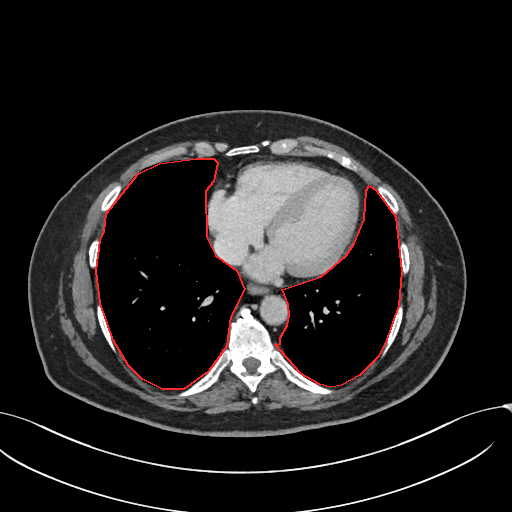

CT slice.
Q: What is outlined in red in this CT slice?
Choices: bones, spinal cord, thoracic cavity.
A: red: thoracic cavity.
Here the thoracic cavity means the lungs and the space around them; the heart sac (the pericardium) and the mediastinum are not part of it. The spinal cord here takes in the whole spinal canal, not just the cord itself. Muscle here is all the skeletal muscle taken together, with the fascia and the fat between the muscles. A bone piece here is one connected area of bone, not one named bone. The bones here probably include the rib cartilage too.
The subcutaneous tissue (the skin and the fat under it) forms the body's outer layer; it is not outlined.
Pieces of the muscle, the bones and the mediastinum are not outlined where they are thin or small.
Outlines (x, y in pixels):
thoracic cavity 1: (196, 158) (213, 158) (217, 162) (213, 181) (205, 191) (206, 237) (215, 255) (236, 270) (244, 289) (230, 316) (226, 346) (208, 371) (183, 389) (162, 389) (142, 379) (128, 365) (113, 340) (100, 303) (96, 270) (100, 240) (104, 231) (106, 213) (138, 173) (159, 163)
thoracic cavity 2: (369, 185) (376, 190) (395, 216) (401, 271) (398, 305) (385, 342) (377, 357) (359, 375) (341, 385) (330, 387) (319, 384) (300, 373) (275, 344) (280, 343) (280, 337) (287, 325) (289, 315) (288, 304) (282, 289) (321, 276) (346, 255) (354, 243) (364, 219) (366, 190)
muscle: (300, 135) (317, 137) (345, 149) (389, 184) (411, 215) (422, 244) (424, 261) (431, 266) (435, 275) (437, 290) (433, 325) (406, 360) (351, 399) (329, 407) (309, 411) (253, 407) (214, 414) (155, 405) (108, 381) (85, 364) (61, 328) (57, 285) (60, 273) (70, 271) (86, 214) (98, 195) (132, 163) (157, 149) (188, 140) (208, 140) (214, 142) (198, 140) (191, 148) (180, 145) (147, 157) (139, 164) (140, 171) (123, 189) (121, 183) (115, 182) (101, 201) (100, 211) (105, 213) (103, 231) (100, 239) (95, 237) (91, 240) (87, 254) (89, 266) (95, 269) (97, 277) (99, 302) (95, 305) (96, 318) (110, 349) (114, 353) (117, 349) (127, 365) (148, 384) (162, 390) (180, 390) (174, 398) (188, 397) (208, 389) (225, 371) (237, 377) (252, 393) (268, 374) (280, 371) (288, 381) (302, 389) (329, 395) (334, 392) (332, 387) (351, 381) (379, 355) (382, 358) (386, 355) (403, 320) (404, 305) (399, 303) (400, 285) (402, 276) (410, 268) (408, 244) (399, 238) (396, 221) (398, 203) (384, 183) (375, 188) (358, 175) (359, 168) (349, 156) (315, 144) (301, 144) (295, 137)
spinal cord: (249, 357) (252, 357) (253, 358) (255, 358) (256, 359) (257, 359) (259, 361) (259, 365) (256, 368) (256, 369) (255, 370) (255, 371) (253, 373) (249, 373) (247, 371) (247, 369) (245, 367) (245, 366) (243, 364) (243, 361) (246, 358) (248, 358)
pericardium: (254, 154) (302, 158) (319, 162) (349, 174) (359, 185) (363, 197) (363, 213) (355, 239) (345, 255) (333, 267) (321, 275) (286, 286) (260, 285) (242, 277) (237, 269) (224, 262) (218, 256) (215, 248) (212, 246) (207, 223) (207, 202) (210, 193) (214, 185) (239, 159)
torso: (244, 108) (292, 111) (337, 124) (399, 162) (436, 199) (456, 233) (466, 269) (461, 320) (442, 363) (413, 395) (371, 415) (316, 429) (256, 437) (196, 435) (161, 429) (103, 410) (60, 390) (44, 371) (27, 296) (32, 250) (50, 211) (88, 170) (147, 130) (186, 116)
mediastinum 1: (239, 274) (242, 278) (260, 286) (284, 287) (281, 289) (281, 293) (287, 304) (288, 315) (286, 325) (279, 337) (279, 343) (272, 341) (268, 329) (254, 316) (247, 306) (244, 305) (240, 309) (239, 315) (234, 320) (231, 320) (232, 313) (245, 289) (244, 283) (239, 279)
mediastinum 2: (262, 150) (268, 150) (270, 153) (275, 155) (301, 155) (325, 157) (357, 174) (368, 184) (365, 190) (364, 215) (360, 228) (364, 213) (364, 212) (364, 211) (364, 197) (358, 182) (341, 169) (302, 157) (284, 157) (283, 156) (266, 155) (265, 154) (257, 154) (256, 153) (254, 153) (253, 154) (243, 156) (213, 185) (206, 203) (207, 187) (214, 181) (218, 164) (212, 157) (218, 154) (232, 157) (238, 155) (246, 155) (247, 154) (252, 154) (253, 153) (258, 153)
bones 1: (244, 306) (267, 329) (271, 341) (300, 374) (319, 385) (331, 388) (333, 392) (314, 393) (288, 380) (280, 370) (268, 373) (252, 392) (237, 376) (225, 370) (208, 388) (188, 396) (174, 397) (181, 390) (198, 381) (213, 366) (221, 351) (227, 346) (230, 320) (234, 321), around a hole outlined by (249, 357) (252, 357) (253, 358) (255, 358) (256, 359) (257, 359) (259, 361) (259, 365) (256, 368) (256, 369) (255, 370) (255, 371) (253, 373) (249, 373) (247, 371) (247, 369) (245, 367) (245, 366) (243, 364) (243, 361) (246, 358) (248, 358)
bones 2: (198, 141) (205, 141) (212, 144) (215, 142) (223, 142) (229, 147) (256, 144) (260, 147) (260, 151) (258, 152) (232, 156) (218, 153) (211, 157) (198, 157) (196, 155) (186, 154) (153, 164) (141, 170) (139, 168) (140, 164) (144, 160) (153, 155) (180, 146) (191, 149)
bones 3: (284, 138) (295, 138) (301, 145) (311, 144) (331, 151) (337, 152) (342, 155) (349, 157) (358, 168) (358, 172) (356, 173) (342, 166) (335, 160) (325, 156) (302, 155) (301, 154) (275, 154) (272, 153) (269, 151) (267, 147) (262, 146) (261, 142) (266, 139) (273, 141)
bones 4: (399, 304) (402, 304) (403, 305) (403, 315) (402, 316) (402, 320) (401, 321) (399, 329) (397, 332) (397, 334) (393, 342) (391, 344) (390, 347) (388, 349) (385, 355) (382, 357) (380, 353) (386, 342) (387, 336) (388, 335) (390, 327) (392, 324) (396, 310)
bones 5: (98, 303) (101, 305) (101, 307) (103, 310) (107, 323) (109, 326) (110, 332) (111, 333) (111, 336) (112, 337) (112, 340) (116, 348) (116, 351) (115, 352) (114, 352) (111, 349) (110, 346) (108, 344) (99, 325) (98, 319) (97, 318) (97, 314) (96, 313) (96, 305)
bones 6: (381, 184) (384, 184) (386, 186) (386, 187) (391, 192) (391, 193) (395, 198) (395, 200) (398, 206) (398, 212) (396, 215) (395, 215) (388, 207) (388, 206) (382, 199) (381, 196) (379, 194) (379, 193) (376, 189) (376, 188) (379, 185)
bones 7: (115, 183) (119, 183) (121, 184) (122, 186) (122, 189) (119, 195) (117, 197) (117, 198) (115, 200) (113, 204) (110, 207) (110, 208) (106, 212) (103, 212) (101, 211) (101, 204) (102, 203) (102, 201) (104, 199) (106, 194) (113, 187)
bones 8: (401, 241) (404, 241) (407, 244) (407, 246) (408, 247) (408, 250) (409, 251) (409, 268) (408, 269) (408, 271) (407, 272) (407, 273) (404, 276) (403, 276) (402, 275) (402, 271) (401, 270) (401, 266) (400, 265) (400, 242)
bones 9: (95, 238) (97, 238) (99, 240) (99, 250) (98, 251) (98, 255) (97, 256) (97, 264) (96, 265) (96, 267) (95, 268) (91, 268) (90, 264) (89, 263) (89, 255) (88, 254) (88, 250) (89, 249) (89, 246) (90, 245) (90, 243) (92, 241) (92, 240) (93, 240)